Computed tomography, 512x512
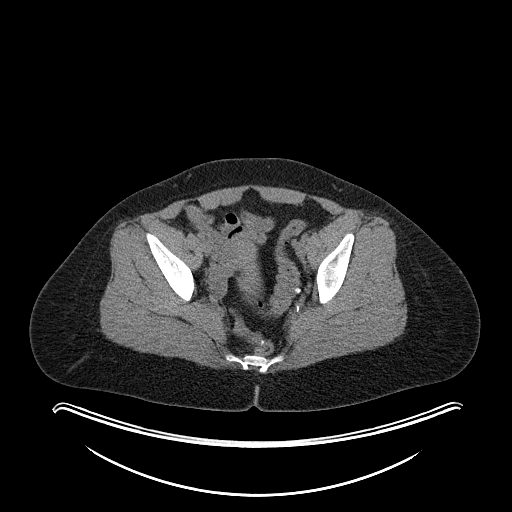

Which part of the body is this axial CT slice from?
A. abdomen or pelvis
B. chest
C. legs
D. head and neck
A. abdomen or pelvis
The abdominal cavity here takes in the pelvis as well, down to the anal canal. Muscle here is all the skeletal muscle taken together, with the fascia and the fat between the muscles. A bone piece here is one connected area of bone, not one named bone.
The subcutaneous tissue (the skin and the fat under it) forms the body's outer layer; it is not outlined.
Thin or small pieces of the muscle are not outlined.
Outlines:
bones 1: (349, 232) (353, 233) (354, 235) (354, 241) (352, 245) (352, 249) (351, 250) (345, 277) (340, 288) (335, 295) (327, 302) (322, 304) (320, 303) (319, 301) (319, 295) (318, 294) (317, 284) (316, 283) (316, 273) (317, 272) (318, 266) (321, 261) (337, 246) (344, 235)
bones 2: (147, 232) (156, 236) (171, 252) (181, 259) (191, 270) (194, 279) (194, 289) (192, 292) (192, 295) (189, 301) (186, 301) (180, 297) (169, 285) (167, 280) (162, 273) (151, 252) (151, 250) (149, 247) (146, 238) (146, 233)
bones 3: (228, 353) (234, 354) (239, 357) (248, 354) (259, 355) (267, 358) (271, 358) (280, 354) (283, 356) (283, 360) (271, 364) (267, 368) (265, 373) (261, 373) (259, 372) (259, 368) (257, 366) (250, 365) (249, 369) (244, 370) (239, 362) (228, 361) (225, 358) (225, 355)
muscle: (246, 184) (298, 190) (388, 220) (407, 304) (404, 332) (375, 349) (266, 373) (284, 360) (277, 354) (290, 320) (312, 299) (315, 282) (322, 305) (341, 288) (355, 235) (346, 232) (313, 269) (308, 240) (336, 216) (311, 198) (274, 202) (248, 188) (226, 205) (210, 208) (188, 201) (174, 217) (164, 221) (199, 242) (201, 262) (193, 271) (145, 233) (171, 289) (189, 302) (195, 285) (222, 314) (233, 353) (224, 358) (242, 369) (139, 352) (106, 338) (99, 303) (118, 223) (180, 199)
abdominal cavity: (248, 189) (274, 203) (297, 205) (311, 199) (335, 216) (307, 240) (307, 259) (316, 271) (311, 299) (289, 320) (285, 344) (271, 357) (236, 354) (228, 347) (223, 314) (199, 297) (195, 284) (192, 271) (202, 262) (200, 242) (165, 221) (188, 202) (210, 209) (226, 206)
torso: (231, 157) (283, 157) (313, 165) (378, 195) (415, 222) (459, 266) (477, 301) (480, 335) (469, 363) (440, 382) (316, 411) (262, 411) (255, 406) (244, 411) (216, 411) (165, 405) (71, 387) (45, 375) (30, 347) (31, 310) (44, 283) (84, 234) (132, 193) (197, 164)